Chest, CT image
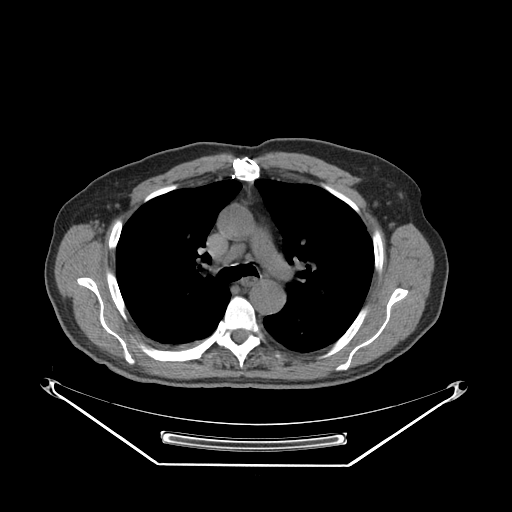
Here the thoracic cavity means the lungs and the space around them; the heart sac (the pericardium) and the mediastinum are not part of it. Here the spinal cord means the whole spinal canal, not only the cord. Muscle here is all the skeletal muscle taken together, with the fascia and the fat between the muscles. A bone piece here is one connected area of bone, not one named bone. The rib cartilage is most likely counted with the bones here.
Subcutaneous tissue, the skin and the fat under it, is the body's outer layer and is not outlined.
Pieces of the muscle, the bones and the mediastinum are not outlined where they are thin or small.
Outlined structures:
torso: 275 137; 315 138; 367 151; 395 164; 417 183; 424 214; 441 235; 448 255; 446 290; 436 322; 407 351; 374 373; 307 389; 142 383; 115 373; 75 347; 59 324; 44 283; 45 258; 60 207; 103 173; 164 149; 196 141; 256 145
muscle: 272 151; 314 156; 360 178; 353 186; 366 201; 386 237; 396 227; 407 223; 421 232; 432 250; 434 267; 429 294; 415 329; 377 358; 346 370; 354 354; 381 334; 390 319; 392 306; 408 294; 406 288; 398 286; 388 298; 385 317; 378 329; 334 368; 337 372; 343 371; 308 380; 163 377; 126 366; 92 343; 67 308; 55 281; 55 260; 64 234; 81 221; 101 221; 108 225; 129 207; 129 194; 140 182; 180 163; 222 152; 241 156; 232 159; 230 176; 216 177; 196 186; 178 188; 177 183; 161 186; 147 194; 124 223; 118 217; 112 224; 107 245; 115 250; 115 272; 106 270; 106 283; 121 317; 128 320; 127 310; 151 344; 139 341; 137 346; 156 361; 184 362; 201 358; 216 344; 229 350; 242 368; 249 352; 267 342; 266 336; 297 352; 329 346; 316 357; 318 359; 335 354; 350 342; 369 311; 364 303; 374 270; 380 275; 383 269; 381 233; 376 228; 371 235; 358 205; 322 181; 316 185; 261 175; 261 168; 253 158, around a hole outlined by 79 277; 89 277; 95 282; 103 302; 104 320; 108 327; 125 342; 128 351; 135 361; 133 364; 130 364; 126 361; 123 348; 119 341; 102 326; 99 318; 100 304; 97 296; 93 291; 85 286; 80 285; 77 282; 77 279
bones 1: 235 296; 241 296; 251 304; 256 320; 261 325; 266 337; 266 342; 262 342; 248 352; 242 367; 229 349; 216 343; 201 357; 184 361; 156 360; 138 346; 139 342; 143 342; 157 349; 178 351; 197 345; 216 329; 224 316; 229 301 with a hole at 237 329; 243 329; 244 330; 245 330; 248 332; 248 335; 247 336; 247 337; 246 338; 246 339; 240 343; 237 343; 236 342; 235 342; 233 340; 233 339; 231 336; 232 335; 232 332; 233 331; 234 331
bones 2: 398 287; 406 289; 408 292; 402 299; 395 302; 391 306; 389 319; 380 334; 370 343; 359 348; 353 354; 347 369; 338 371; 335 370; 337 366; 347 360; 350 352; 357 345; 369 339; 379 329; 386 317; 386 306; 389 298; 393 291
bones 3: 79 277; 89 277; 95 282; 103 302; 104 320; 108 327; 125 342; 128 351; 135 361; 133 364; 130 364; 126 361; 123 348; 119 341; 102 326; 99 318; 100 304; 97 296; 93 291; 85 286; 80 285; 77 282; 77 279
bones 4: 242 156; 247 156; 255 160; 255 161; 258 164; 260 168; 260 176; 259 177; 256 178; 252 181; 248 181; 247 180; 240 180; 237 178; 231 177; 231 174; 233 171; 232 170; 232 162; 233 161; 233 159; 235 157; 241 157
bones 5: 365 305; 367 305; 368 306; 368 311; 358 330; 355 333; 349 342; 341 349; 335 353; 324 358; 318 358; 317 357; 319 355; 321 355; 325 353; 329 349; 330 346; 347 330; 347 329; 350 326; 350 325; 353 322; 359 313; 362 307
bones 6: 108 269; 111 270; 115 274; 115 277; 117 281; 117 284; 126 308; 126 314; 127 315; 127 320; 126 321; 120 314; 118 309; 116 307; 112 299; 112 297; 109 290; 109 287; 107 283; 107 278; 106 277; 106 272
bones 7: 376 229; 377 229; 380 233; 380 235; 381 236; 381 239; 382 240; 382 243; 383 244; 383 264; 382 265; 382 269; 381 270; 380 274; 379 274; 375 270; 374 268; 374 248; 373 247; 373 242; 372 241; 372 237; 371 236; 374 230
bones 8: 322 182; 330 186; 332 188; 337 190; 339 192; 344 194; 347 197; 348 197; 351 200; 352 200; 359 208; 360 210; 360 214; 359 215; 347 203; 346 203; 341 199; 338 198; 336 196; 329 192; 326 189; 320 186; 319 184
bones 9: 118 218; 122 220; 123 224; 121 228; 120 235; 119 236; 119 238; 118 239; 118 241; 117 242; 117 244; 116 245; 115 249; 110 249; 108 245; 108 242; 109 241; 109 237; 111 233; 111 230; 112 229; 113 224; 114 222
bones 10: 172 184; 177 184; 178 185; 178 187; 177 188; 175 189; 173 189; 170 191; 168 191; 165 193; 163 193; 160 195; 155 196; 149 199; 147 201; 144 202; 144 198; 151 192; 161 187; 163 187; 164 186; 168 186
mediastinum: 240 181; 254 181; 254 185; 282 238; 283 256; 293 272; 293 278; 286 285; 285 304; 278 312; 266 315; 261 324; 257 320; 252 304; 241 295; 231 297; 229 286; 214 274; 212 256; 207 247; 207 238; 218 214; 237 195; 242 187
thoracic cavity 1: 224 177; 237 179; 241 187; 217 214; 207 235; 206 247; 211 256; 213 274; 228 286; 230 299; 215 329; 197 344; 178 350; 157 348; 152 345; 129 313; 116 277; 116 248; 123 225; 142 204; 155 197; 176 189; 196 187; 216 178
thoracic cavity 2: 265 175; 321 187; 347 204; 360 217; 371 237; 374 269; 363 305; 346 330; 334 342; 316 350; 289 349; 266 335; 262 329; 264 318; 278 313; 286 304; 287 285; 294 278; 293 268; 287 263; 284 256; 283 238; 255 185; 255 180
spinal cord: 237 329; 243 329; 244 330; 245 330; 248 332; 248 335; 247 336; 247 337; 246 338; 246 339; 240 343; 237 343; 236 342; 235 342; 233 340; 233 339; 231 336; 232 335; 232 332; 233 331; 234 331